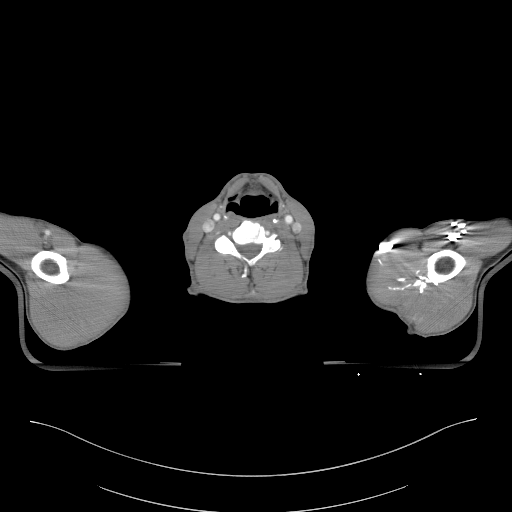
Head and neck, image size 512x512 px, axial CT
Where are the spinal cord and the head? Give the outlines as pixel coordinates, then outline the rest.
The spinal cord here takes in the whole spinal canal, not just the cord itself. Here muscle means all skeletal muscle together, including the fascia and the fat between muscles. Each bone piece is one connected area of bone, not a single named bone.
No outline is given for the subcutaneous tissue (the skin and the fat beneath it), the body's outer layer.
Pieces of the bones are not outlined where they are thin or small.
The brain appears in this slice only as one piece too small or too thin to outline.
{"spinal_cord":[[[250,243],[253,243],[254,244],[260,244],[261,245],[261,248],[257,254],[256,254],[253,257],[251,257],[250,258],[249,258],[248,257],[245,256],[243,254],[242,254],[239,251],[239,250],[237,248],[237,245],[245,245],[246,244],[249,244]]],"head":[{"outer":[[241,172],[265,172],[273,175],[285,190],[303,204],[310,213],[314,222],[315,235],[314,247],[309,260],[305,295],[274,305],[264,303],[230,305],[202,295],[191,295],[188,292],[190,274],[184,255],[182,234],[192,214],[201,205],[215,197],[230,178]],"hole":[[258,194],[261,194],[267,197],[271,203],[273,202],[277,203],[277,210],[275,212],[263,215],[258,215],[253,217],[247,217],[241,214],[236,213],[231,210],[228,210],[226,208],[228,203],[230,202],[238,203],[240,201],[240,198],[244,195],[257,195]]}],"right_arm":[[[1,211],[12,214],[27,215],[47,220],[69,230],[83,241],[99,244],[109,250],[122,266],[130,284],[131,299],[127,313],[107,332],[86,345],[67,351],[56,350],[46,345],[36,335],[29,323],[25,320],[23,284],[14,272],[0,263],[0,212]]],"muscle":[{"outer":[[0,216],[50,225],[72,236],[79,245],[89,244],[103,250],[115,261],[125,279],[127,299],[123,311],[99,333],[74,346],[62,348],[54,346],[46,341],[34,327],[28,316],[28,293],[25,289],[25,282],[22,275],[23,272],[14,262],[0,254]],"hole":[[40,250],[54,250],[56,252],[58,252],[66,258],[67,260],[67,263],[68,264],[68,267],[69,268],[69,272],[70,273],[70,278],[65,283],[63,283],[62,284],[53,284],[52,283],[50,283],[37,276],[31,269],[31,265],[30,264],[31,258]]},{"outer":[[499,221],[511,226],[511,241],[497,254],[484,260],[476,279],[473,305],[465,316],[453,326],[438,332],[418,332],[414,324],[396,305],[380,304],[371,295],[369,276],[375,253],[383,242],[399,230],[424,230],[434,226],[445,227],[460,223],[487,224]],"hole":[[442,249],[451,249],[461,254],[466,259],[466,264],[456,275],[455,275],[453,277],[443,282],[440,282],[437,285],[430,279],[429,279],[427,276],[427,274],[426,273],[426,258],[428,257],[431,254],[435,252],[437,252]]},{"outer":[[260,175],[271,178],[286,196],[303,208],[310,219],[312,234],[309,247],[302,261],[303,276],[299,291],[279,298],[266,299],[222,297],[200,289],[195,275],[194,260],[190,256],[187,241],[188,230],[193,218],[202,208],[217,200],[227,186],[236,178]],"hole":[[258,194],[267,197],[271,203],[276,202],[277,210],[251,219],[277,233],[281,249],[265,254],[250,266],[247,275],[242,277],[246,263],[233,255],[218,252],[214,247],[214,241],[218,236],[234,229],[246,217],[228,210],[228,203],[238,203],[244,195]]}],"left_arm":[[[496,216],[511,217],[511,248],[481,278],[477,289],[475,310],[462,325],[453,331],[430,337],[411,335],[395,312],[378,307],[368,297],[365,276],[369,261],[374,252],[380,248],[382,239],[392,230],[403,226],[423,227],[434,221],[449,218],[487,219]]],"bones":[{"outer":[[246,217],[257,221],[265,228],[277,233],[281,243],[281,249],[265,254],[253,266],[250,266],[248,268],[247,275],[242,277],[241,276],[244,272],[246,263],[233,255],[222,254],[218,252],[214,247],[214,241],[218,236],[225,234],[228,230],[234,229]],"hole":[[250,243],[253,243],[254,244],[260,244],[261,245],[261,248],[257,254],[256,254],[253,257],[251,257],[250,258],[249,258],[248,257],[245,256],[243,254],[242,254],[239,251],[239,250],[237,248],[237,245],[245,245],[246,244],[249,244]]},[[40,250],[54,250],[56,252],[58,252],[66,258],[67,260],[67,263],[68,264],[68,267],[69,268],[69,272],[70,273],[70,278],[65,283],[63,283],[62,284],[53,284],[52,283],[50,283],[37,276],[31,269],[31,265],[30,264],[31,258]],[[442,249],[451,249],[461,254],[466,259],[466,264],[456,275],[455,275],[453,277],[443,282],[440,282],[437,285],[430,279],[429,279],[427,276],[427,274],[426,273],[426,258],[428,257],[431,254],[435,252],[437,252]]]}